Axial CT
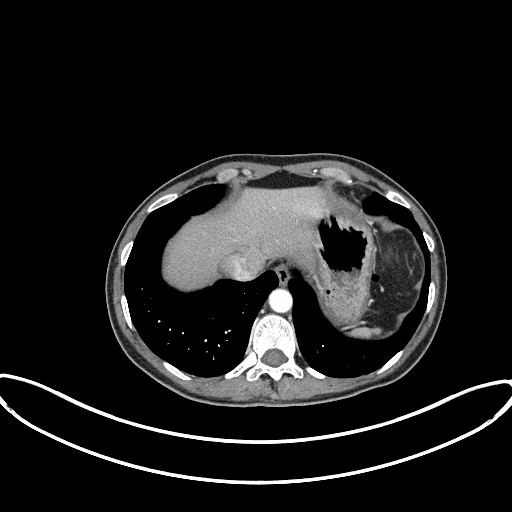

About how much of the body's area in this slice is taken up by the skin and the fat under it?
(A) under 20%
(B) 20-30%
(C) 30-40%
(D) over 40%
(A) under 20%
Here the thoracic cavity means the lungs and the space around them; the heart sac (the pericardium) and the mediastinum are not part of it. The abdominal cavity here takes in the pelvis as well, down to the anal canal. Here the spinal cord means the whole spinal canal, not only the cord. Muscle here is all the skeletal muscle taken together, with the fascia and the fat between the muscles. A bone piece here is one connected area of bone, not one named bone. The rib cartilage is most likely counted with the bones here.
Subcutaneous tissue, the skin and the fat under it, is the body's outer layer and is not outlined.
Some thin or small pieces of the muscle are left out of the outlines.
thoracic cavity 1: 200,376 221,375 242,359 252,322 278,281 268,270 247,282 224,279 201,291 183,294 161,279 159,264 165,242 191,215 212,207 223,196 225,185 219,183 198,187 149,214 125,268 125,294 142,339 163,359
thoracic cavity 2: 335,377 353,377 381,366 404,346 425,308 430,261 421,230 409,210 374,191 364,200 364,209 408,227 422,248 426,264 422,292 395,334 380,341 358,341 331,327 311,288 295,272 288,285 299,349 307,364
spinal cord: 272,366 277,366 286,360 286,358 285,357 285,356 283,354 283,353 281,351 280,351 277,349 270,349 269,350 268,350 264,354 264,355 262,358 262,360 265,363 266,363 267,364 269,364
abdominal cavity: 358,340 385,339 400,328 419,299 425,264 408,228 389,216 370,214 340,195 334,188 337,180 282,170 226,182 224,196 212,208 191,216 164,246 162,279 183,293 224,278 253,279 284,258 312,288 332,327
torso: 232,407 310,405 351,397 396,381 419,361 429,347 447,293 443,241 431,216 417,199 377,167 349,155 330,152 224,154 203,161 164,182 125,221 110,252 105,276 107,313 120,347 137,367 170,390 194,401
muscle: 232,400 258,397 303,399 339,392 382,378 407,358 432,323 440,287 435,239 428,223 408,198 404,197 411,205 414,218 435,243 434,251 430,253 431,279 436,285 435,299 403,348 404,353 391,367 380,374 374,371 353,378 328,376 318,379 305,372 301,379 285,373 276,382 263,374 249,382 245,378 245,371 230,379 222,375 200,377 188,374 192,378 190,381 176,377 162,365 162,359 145,344 136,330 131,330 126,324 120,305 120,295 124,292 120,252 127,241 134,239 148,215 147,207 154,200 167,192 176,191 181,195 198,186 217,182 216,173 226,167 248,168 252,172 250,177 240,174 231,180 245,180 282,169 305,176 323,177 317,169 334,165 345,169 353,183 381,194 389,188 395,189 393,187 353,165 337,160 282,166 231,161 172,185 139,212 129,225 115,256 113,303 118,323 135,349 174,382 194,393
bones 1: 249,381 257,379 263,373 276,381 285,372 295,378 301,378 305,371 318,378 327,376 308,365 303,368 297,363 295,357 299,350 293,324 279,315 266,314 255,318 243,359 223,375 225,378 230,378 245,370, around a hole outlined by 272,366 277,366 286,360 286,358 285,357 285,356 283,354 283,353 281,351 280,351 277,349 270,349 269,350 268,350 264,354 264,355 262,358 262,360 265,363 266,363 267,364 269,364
bones 2: 345,184 350,184 352,183 352,179 350,177 349,174 345,170 339,167 335,167 334,166 330,166 329,167 323,167 320,169 318,169 318,172 320,173 322,176 324,177 334,177 336,179 341,181
bones 3: 220,183 223,183 226,181 228,181 234,178 240,173 244,175 246,175 247,176 250,176 251,175 251,172 246,168 244,168 240,170 236,169 235,168 226,168 225,169 223,169 219,171 216,175 216,179 217,181
bones 4: 148,213 150,213 152,211 159,208 161,206 163,206 165,204 167,204 169,202 174,200 176,198 177,198 179,196 179,195 176,192 171,192 170,193 167,193 161,196 155,201 154,201 148,207 147,209 147,212
bones 5: 408,209 410,208 410,205 403,197 403,196 398,191 396,190 394,190 393,189 389,189 387,190 384,193 383,195 385,197 386,197 388,199 389,199 393,202 395,202 402,206 404,206
bones 6: 133,330 135,330 135,328 131,321 131,318 129,314 129,310 128,309 128,306 127,305 127,301 126,300 125,295 124,293 123,293 121,295 121,305 122,306 122,309 123,310 123,314 127,322 127,324 128,326
bones 7: 185,380 190,380 191,379 189,375 181,371 179,369 173,366 165,360 163,360 162,361 162,363 163,365 170,372 171,372 176,376 182,379 184,379
bones 8: 424,315 425,315 429,311 431,307 431,305 433,302 434,296 435,295 435,285 434,284 434,282 432,280 430,281 430,283 429,284 429,288 428,289 428,295 427,296 427,303 426,304 426,308 424,312
bones 9: 123,267 124,267 126,264 126,262 127,261 128,256 130,253 130,251 131,250 131,248 132,247 132,245 133,244 133,240 130,240 128,242 127,242 124,246 124,247 121,252 121,259 120,260 120,264
bones 10: 376,373 380,373 381,372 382,372 384,370 385,370 386,369 387,369 390,366 391,366 400,357 400,356 403,353 403,349 401,349 398,352 397,352 391,358 390,358 381,367 380,367 377,370 376,370
bones 11: 430,252 432,252 433,251 433,248 434,247 434,243 433,242 433,240 432,239 432,238 425,231 422,231 422,233 423,234 423,236 424,237 424,239 425,240 425,242 427,245 427,247 428,248 428,250
mediastinum 1: 292,323 292,296 288,289 287,283 293,277 293,274 295,270 292,265 290,265 284,259 281,259 276,261 269,267 269,269 272,269 276,273 279,281 278,285 270,292 257,316 259,317 266,313 275,313 285,317
mediastinum 2: 359,206 362,206 362,202 363,200 368,195 369,195 372,192 372,191 367,189 365,187 359,184 351,184 350,185 345,185 341,182 337,181 337,182 335,183 335,188 339,192 339,193 349,199 352,202 354,202